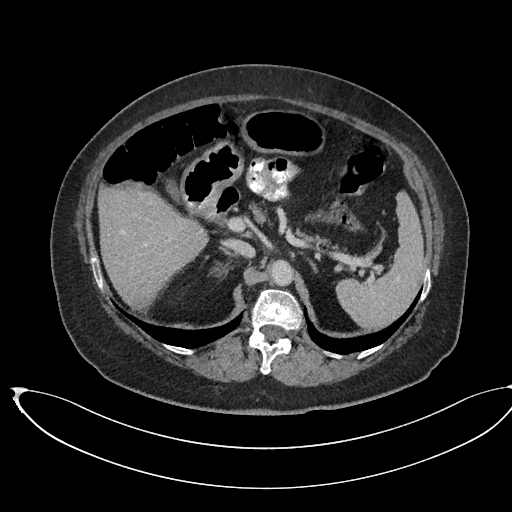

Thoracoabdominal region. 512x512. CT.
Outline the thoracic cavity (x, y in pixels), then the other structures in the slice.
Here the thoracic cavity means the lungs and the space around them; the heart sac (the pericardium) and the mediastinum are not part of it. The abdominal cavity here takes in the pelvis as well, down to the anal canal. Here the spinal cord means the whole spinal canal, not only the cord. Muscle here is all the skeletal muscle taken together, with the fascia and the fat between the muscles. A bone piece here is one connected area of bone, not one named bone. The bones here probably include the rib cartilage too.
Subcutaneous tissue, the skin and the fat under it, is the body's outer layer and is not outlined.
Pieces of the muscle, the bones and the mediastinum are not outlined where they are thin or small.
{"thoracic_cavity":[[[420,290],[420,294],[416,304],[397,329],[384,341],[360,351],[342,354],[324,349],[316,344],[309,337],[306,331],[306,322],[303,312],[303,308],[305,308],[307,318],[313,327],[320,333],[332,338],[338,339],[354,338],[379,332],[395,322],[408,309]],[[120,310],[142,322],[145,322],[154,326],[164,328],[174,328],[181,330],[205,330],[210,328],[215,328],[230,322],[240,314],[242,314],[242,317],[239,325],[225,335],[199,347],[190,348],[180,345],[167,343],[163,341],[162,342],[154,338],[128,318]]],"mediastinum":[[[277,260],[286,261],[294,269],[299,278],[305,307],[302,308],[296,296],[289,290],[276,287],[265,287],[258,292],[252,304],[248,306],[249,307],[245,310],[243,314],[240,313],[242,309],[239,299],[241,286],[247,280],[257,277],[264,273],[268,267]]],"muscle":[[[243,93],[299,98],[351,114],[385,130],[418,156],[430,176],[443,213],[444,245],[433,294],[422,327],[410,340],[384,360],[335,383],[296,387],[285,385],[267,375],[271,372],[271,363],[276,356],[290,353],[293,347],[292,339],[288,335],[290,332],[297,331],[304,321],[308,337],[321,348],[325,356],[341,359],[343,355],[356,353],[355,358],[360,360],[384,346],[385,341],[405,321],[417,302],[422,303],[426,299],[432,287],[431,269],[425,263],[427,247],[421,205],[408,180],[400,155],[385,142],[340,119],[275,99],[202,104],[170,113],[136,130],[107,158],[98,181],[91,225],[96,254],[89,257],[89,262],[99,291],[102,293],[105,288],[111,301],[128,319],[161,342],[163,347],[183,356],[191,356],[196,348],[211,343],[236,329],[244,313],[251,306],[249,309],[251,331],[247,337],[247,346],[261,353],[258,369],[263,375],[236,383],[217,382],[196,376],[158,357],[124,334],[107,316],[100,305],[81,257],[74,226],[75,210],[83,181],[98,152],[126,128],[163,109],[203,97]]],"spinal_cord":[[[265,325],[274,325],[275,326],[279,326],[280,327],[281,327],[284,330],[284,335],[282,337],[280,337],[279,338],[278,338],[275,341],[269,341],[267,339],[266,339],[266,337],[265,336],[265,335],[262,332],[262,331],[261,330],[261,328]]],"torso":[[[240,63],[299,66],[368,88],[409,114],[445,157],[469,217],[465,295],[457,343],[422,381],[377,399],[337,409],[289,415],[218,413],[166,403],[117,385],[103,377],[75,348],[59,313],[49,253],[54,204],[70,163],[104,123],[140,95],[192,72]]],"bones":[{"outer":[[265,288],[276,288],[289,291],[299,302],[303,313],[303,320],[300,327],[287,334],[292,343],[289,353],[276,355],[270,363],[270,372],[266,375],[262,374],[259,369],[262,362],[262,353],[259,349],[248,346],[248,337],[252,331],[250,309],[259,292]],"hole":[[265,325],[274,325],[275,326],[279,326],[280,327],[281,327],[284,330],[284,335],[282,337],[280,337],[279,338],[278,338],[275,341],[269,341],[267,339],[266,339],[266,337],[265,336],[265,335],[262,332],[262,331],[261,330],[261,328]]},[[95,254],[98,257],[98,259],[99,260],[99,265],[100,266],[100,270],[101,271],[101,274],[103,278],[103,285],[104,287],[102,292],[100,291],[96,284],[96,282],[92,272],[92,266],[90,262],[90,257],[92,255],[94,255]],[[426,266],[429,267],[430,269],[430,281],[431,282],[431,287],[425,299],[422,302],[419,302],[418,300],[420,297],[420,295],[421,294],[421,290],[422,289],[422,286],[423,285],[423,277],[424,276],[424,269]],[[163,342],[164,343],[166,343],[167,344],[170,344],[171,345],[180,346],[181,347],[184,347],[185,348],[189,348],[190,349],[195,349],[195,351],[191,355],[183,355],[182,354],[179,354],[163,346],[162,344]],[[383,342],[384,342],[384,344],[383,346],[381,348],[378,349],[376,351],[373,352],[371,354],[363,358],[361,358],[360,359],[357,359],[356,358],[356,356],[358,352],[360,352],[363,350],[365,350],[366,349],[371,348]]],"abdominal_cavity":[[[254,100],[281,101],[335,118],[399,155],[420,205],[425,266],[421,289],[387,327],[345,338],[320,332],[308,318],[300,278],[284,259],[247,279],[238,293],[239,313],[215,327],[154,325],[119,309],[110,298],[92,226],[108,158],[136,131],[170,114]]]}